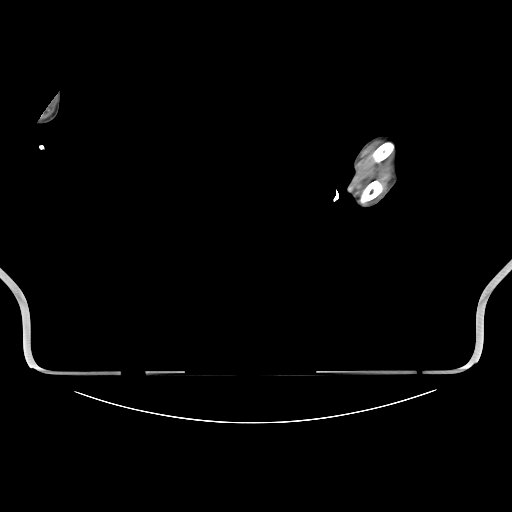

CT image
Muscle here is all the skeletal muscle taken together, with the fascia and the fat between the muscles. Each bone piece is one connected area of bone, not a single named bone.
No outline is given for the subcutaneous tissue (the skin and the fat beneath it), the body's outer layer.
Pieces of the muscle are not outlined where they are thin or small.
The bones appear in 2 outlined pieces: piece 1: (374, 180) (378, 180) (380, 181) (384, 185) (384, 188) (383, 190) (376, 197) (375, 197) (373, 199) (371, 199) (367, 201) (365, 204) (362, 205) (358, 203) (357, 201) (360, 197) (360, 195) (362, 191) (364, 189) (364, 188) (370, 182); piece 2: (385, 141) (392, 141) (395, 144) (395, 149) (394, 150) (394, 151) (392, 153) (391, 153) (386, 158) (385, 158) (380, 162) (379, 162) (378, 163) (377, 163) (376, 162) (374, 162) (374, 161) (373, 160) (373, 159) (371, 156) (371, 154) (381, 144) (382, 144). The left arm is outlined by (378, 135) (388, 135) (395, 142) (395, 145) (397, 149) (396, 163) (399, 177) (395, 185) (383, 199) (377, 204) (371, 207) (364, 208) (360, 207) (354, 202) (350, 195) (346, 192) (346, 187) (354, 173) (354, 170) (352, 167) (352, 163) (355, 156) (362, 146) (367, 141). The muscle appears in 2 outlined pieces: piece 1: (379, 139) (384, 141) (370, 154) (370, 156) (373, 162) (378, 164) (393, 153) (392, 161) (393, 177) (387, 189) (381, 194) (385, 188) (385, 185) (380, 180) (374, 179) (370, 181) (363, 188) (359, 196) (356, 193) (355, 187) (358, 175) (358, 163) (366, 148) (374, 141); piece 2: (52, 100) (52, 102) (55, 104) (55, 105) (54, 106) (54, 110) (52, 112) (52, 113) (49, 116) (48, 116) (46, 118) (42, 118) (41, 117) (40, 117) (42, 115) (42, 113) (44, 111) (44, 110) (45, 110) (46, 109) (48, 104) (49, 104) (50, 103) (50, 102). The right arm is outlined by (58, 92) (60, 92) (60, 105) (59, 106) (59, 111) (56, 117) (53, 120) (52, 120) (48, 123) (45, 123) (44, 124) (38, 124) (37, 123) (37, 121) (42, 115) (42, 113) (44, 111) (44, 110) (46, 109) (48, 104) (50, 103) (50, 102) (53, 99) (53, 98).